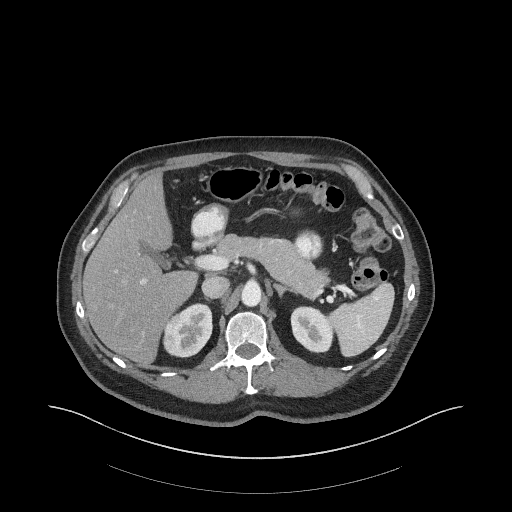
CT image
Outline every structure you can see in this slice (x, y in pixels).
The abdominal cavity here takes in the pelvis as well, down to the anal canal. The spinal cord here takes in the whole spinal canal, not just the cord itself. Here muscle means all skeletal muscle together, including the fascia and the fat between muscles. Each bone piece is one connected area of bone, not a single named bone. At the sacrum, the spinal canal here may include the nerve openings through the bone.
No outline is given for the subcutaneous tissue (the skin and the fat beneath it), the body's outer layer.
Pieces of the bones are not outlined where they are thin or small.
Outlines (x, y in pixels):
muscle: 214,404 246,395 244,367 209,370 226,353 222,334 198,365 171,377 161,377 159,373 164,371 148,372 126,362 127,367 123,369 111,359 113,354 98,341 85,314 82,320 74,312 78,299 83,305 81,271 87,254 80,249 82,240 96,225 98,236 138,183 161,170 232,155 250,155 288,166 329,169 344,175 347,175 342,168 344,163 357,167 369,179 375,194 375,199 369,201 357,188 361,196 382,216 387,231 391,233 389,227 395,220 405,235 400,242 405,260 404,301 398,323 382,345 388,349 376,360 370,357 342,371 338,367 312,365 291,354 272,330 268,332 267,346 278,357 272,363 274,370 271,372 266,363 252,370 252,384 257,393 322,396 358,381 394,353 410,326 420,292 419,268 403,219 380,185 357,162 339,156 280,151 193,153 132,166 101,197 79,238 71,271 71,303 79,333 95,355 117,372 183,399, around holes outlined by 109,212 112,212 114,211 121,204 121,202 128,190 128,188 129,187 129,182 136,176 136,174 135,173 131,175 131,176 128,179 126,179 122,181 114,189 110,196 110,199 109,200 109,203 108,204 108,211 and by 409,301 410,301 411,300 412,300 413,299 413,298 414,297 414,294 415,293 415,288 414,287 414,284 412,282 411,282 409,284 409,285 408,286 408,288 407,289 407,299
spinal cord: 245,358 250,358 252,357 259,351 259,349 256,346 252,344 249,344 248,343 246,343 245,344 243,344 239,346 237,348 236,350 236,352 237,354
torso: 210,427 234,426 259,415 296,423 315,423 367,411 393,390 429,320 435,283 424,232 411,208 375,163 344,140 316,135 220,135 138,149 109,171 64,237 56,270 56,313 62,334 86,375 104,392 140,410
bones 1: 246,394 257,392 251,384 252,367 266,362 272,371 271,363 277,358 266,346 265,321 251,311 238,312 228,320 225,329 227,353 210,367 210,370 214,370 220,366 228,369 231,366 244,366 247,370 with a hole at 245,358 250,358 252,357 259,351 259,349 256,346 252,344 249,344 248,343 246,343 245,344 243,344 239,346 237,348 236,350 236,352 237,354
bones 2: 369,200 372,200 374,199 374,194 373,193 373,189 368,179 357,168 349,164 344,164 343,165 343,168 345,170 346,173 349,176 349,177 356,184 357,187 366,197 366,198
bones 3: 109,212 112,212 114,211 121,204 121,202 128,190 128,188 129,187 129,182 136,176 136,174 135,173 131,175 131,176 128,179 126,179 122,181 114,189 110,196 110,199 109,200 109,203 108,204 108,211
bones 4: 84,253 87,253 89,251 89,250 92,247 92,246 93,245 95,240 97,238 97,234 98,233 98,227 97,227 96,226 95,227 94,227 90,231 90,232 83,240 83,241 81,244 81,249 82,250 82,251
bones 5: 399,241 401,241 404,238 404,235 403,234 403,232 402,231 402,230 401,229 401,227 399,225 399,224 397,222 396,222 395,221 391,225 391,226 390,227 390,230 391,231 391,232 394,235 394,236
bones 6: 123,368 125,368 126,367 126,364 123,361 123,360 122,360 120,358 119,358 117,356 116,356 115,355 113,355 112,356 112,359 118,365 119,365 121,367 122,367
bones 7: 371,359 376,359 377,358 378,358 387,349 387,348 386,347 382,347 381,348 380,348 380,349 379,350 378,350 373,355 372,355 371,356
abdominal cavity: 148,371 177,371 198,364 219,335 224,336 227,320 243,310 260,314 288,351 312,364 339,367 369,357 400,315 404,260 399,242 348,176 334,171 232,156 143,179 88,253 82,293 86,316 99,341 124,361